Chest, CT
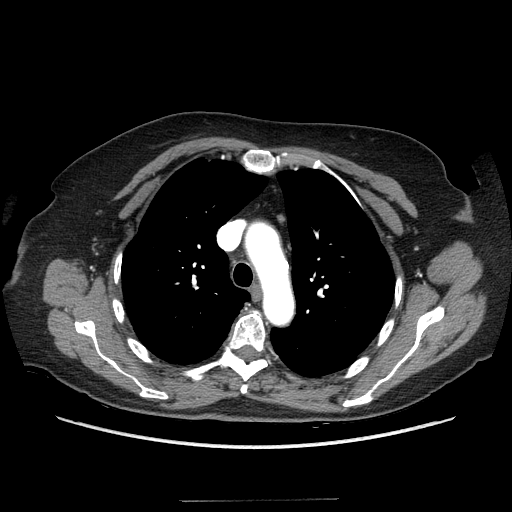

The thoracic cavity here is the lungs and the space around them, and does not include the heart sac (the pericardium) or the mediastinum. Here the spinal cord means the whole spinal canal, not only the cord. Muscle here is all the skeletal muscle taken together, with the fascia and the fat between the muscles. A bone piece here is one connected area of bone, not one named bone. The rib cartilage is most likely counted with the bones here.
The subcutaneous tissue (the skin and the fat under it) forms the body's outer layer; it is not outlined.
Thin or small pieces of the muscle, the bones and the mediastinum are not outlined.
The torso is outlined by 194,110 373,126 404,133 432,149 448,179 463,190 475,229 511,255 505,312 490,357 401,410 354,421 301,423 185,420 130,412 25,365 8,321 3,285 12,274 25,225 54,197 52,181 76,158 119,133. The thoracic cavity appears in 2 outlined pieces: piece 1: 221,153 229,154 248,172 268,178 263,189 215,233 218,247 227,256 232,284 245,290 249,300 244,302 218,354 193,365 173,364 154,356 136,338 122,302 123,252 136,233 151,200 166,180 195,158 215,158; piece 2: 291,166 321,170 345,188 373,223 389,255 395,276 392,305 375,338 345,369 319,377 302,376 288,369 279,360 268,338 272,328 281,330 287,328 296,315 296,300 291,275 292,245 284,196 276,176 278,171. The bones appear in 10 outlined pieces: piece 1: 250,309 260,312 267,338 273,351 278,356 278,360 272,365 259,370 246,381 247,392 245,394 240,392 243,382 242,378 230,367 216,366 205,372 203,377 196,381 180,373 185,369 214,359 221,352 236,319 with a hole at 245,345 248,345 249,346 251,346 256,351 256,352 257,353 257,357 255,359 254,359 253,360 251,360 248,362 245,361 242,358 239,357 237,355 237,351 240,348 241,348 243,346 244,346; piece 2: 257,148 267,149 273,154 287,152 295,154 304,154 315,159 319,159 337,173 350,186 360,200 364,209 360,207 351,194 337,179 321,169 291,165 269,175 258,174 248,171 238,161 238,158 247,150; piece 3: 439,304 444,308 443,317 439,321 429,325 423,331 419,344 412,354 397,368 389,379 382,382 372,393 374,399 365,404 344,407 342,402 345,399 351,399 362,395 379,379 383,378 391,371 413,345 418,318; piece 4: 76,320 92,320 95,325 96,340 101,352 112,359 125,372 134,376 146,387 164,391 169,397 167,399 141,397 138,394 140,388 136,383 131,378 119,372 98,354 92,338 88,335 78,333 76,331 74,325; piece 5: 127,336 131,336 135,338 138,341 139,341 149,351 149,352 153,356 153,358 155,361 155,363 154,364 150,364 147,362 145,362 143,361 139,357 138,357 128,346 126,342 126,338; piece 6: 365,354 368,354 370,356 370,359 368,363 366,365 366,366 362,370 361,370 358,373 353,375 351,377 349,377 348,378 345,378 344,379 341,379 339,378 339,376 342,373 342,371 345,370 359,357; piece 7: 391,316 392,316 394,318 394,325 393,326 393,328 390,334 385,340 385,341 380,346 378,347 376,347 375,345 375,343 376,342 376,337 378,333 380,331 385,321; piece 8: 119,249 120,249 122,251 122,258 121,259 121,272 120,273 120,285 117,285 116,284 115,284 115,283 114,282 114,277 113,276 113,267 114,266 114,257 115,256 115,255 116,254 116,252; piece 9: 113,297 116,297 117,298 118,298 120,300 120,301 123,305 123,308 124,309 124,311 125,312 125,315 126,316 126,319 123,323 120,323 117,320 117,319 114,314 114,312 113,311 113,308 112,307 112,298; piece 10: 399,273 401,273 402,274 402,295 401,296 401,299 400,300 400,301 399,302 399,304 398,305 398,306 397,307 397,308 396,309 395,309 393,307 393,302 394,301 394,292 395,291 395,281 396,280 396,276. The right arm is outlined by 9,193 10,194 11,194 11,195 16,199 16,201 17,202 17,205 16,206 10,219 3,227 3,228 3,220 4,219 4,213 5,212 5,208 6,207 6,204 7,203 7,198 8,197 8,195 9,194. The spinal cord is outlined by 245,345 248,345 249,346 251,346 256,351 256,352 257,353 257,357 255,359 254,359 253,360 251,360 248,362 245,361 242,358 239,357 237,355 237,351 240,348 241,348 243,346 244,346. The muscle is outlined by 205,136 236,137 262,147 298,145 316,148 392,177 400,184 417,210 416,217 404,211 401,216 404,231 398,240 398,247 403,255 408,282 413,279 417,268 423,270 431,258 456,239 468,241 483,261 483,273 477,284 487,293 487,310 478,330 451,354 375,399 373,393 413,354 424,331 444,317 445,308 440,303 422,313 416,320 414,341 409,349 386,375 379,378 366,391 345,398 341,402 344,408 360,406 344,412 301,410 254,400 243,395 237,398 224,398 195,408 167,409 156,406 155,403 142,398 167,400 170,397 168,393 146,386 103,353 92,319 76,319 73,322 75,331 91,338 97,354 119,373 131,379 139,388 139,396 112,384 64,356 54,345 53,337 47,328 47,311 42,300 42,285 47,265 56,257 79,258 85,263 88,275 103,276 122,234 122,222 118,213 127,199 124,197 113,200 113,197 141,167 172,145, around holes outlined by 257,148 304,154 337,173 363,205 394,275 402,274 401,299 386,317 394,318 393,328 380,346 375,338 361,353 370,359 351,377 339,378 341,371 306,377 278,360 252,375 242,394 243,380 230,367 216,366 195,381 180,373 200,363 143,361 126,342 136,337 128,318 120,323 114,314 112,298 123,300 114,257 166,180 195,158 225,153 237,160 and by 284,371 285,371 286,372 288,372 292,375 295,376 297,378 303,380 304,381 304,382 301,383 297,380 292,380 291,379 289,379 288,378 287,378 284,375 284,374 283,373 283,372. The mediastinum is outlined by 274,173 283,196 291,245 290,275 295,315 287,327 272,327 268,337 262,314 258,309 250,308 239,315 245,302 250,300 250,294 233,284 229,273 229,259 226,252 219,247 216,233 264,189 269,181 268,176. The left arm is outlined by 485,149 490,154 494,163 499,176 503,194 505,198 505,203 508,213 509,232 511,238 511,254 493,245 479,233 474,225 467,201 465,198 464,191 469,192 478,186 478,182 472,169 471,162 473,158 479,152.